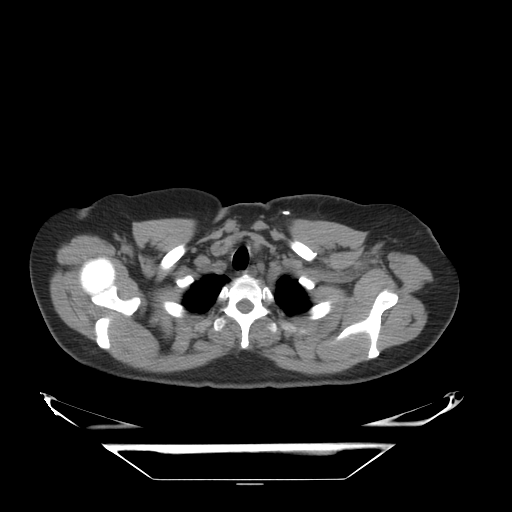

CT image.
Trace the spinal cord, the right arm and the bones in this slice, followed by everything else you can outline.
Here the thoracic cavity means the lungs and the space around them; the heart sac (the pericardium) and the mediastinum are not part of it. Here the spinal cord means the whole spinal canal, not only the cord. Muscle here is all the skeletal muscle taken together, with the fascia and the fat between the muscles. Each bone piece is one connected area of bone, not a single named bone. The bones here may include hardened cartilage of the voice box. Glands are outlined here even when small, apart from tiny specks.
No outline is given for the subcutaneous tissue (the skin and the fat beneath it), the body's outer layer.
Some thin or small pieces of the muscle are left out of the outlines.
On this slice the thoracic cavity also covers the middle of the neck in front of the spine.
{"spinal_cord":[[[243,299],[246,299],[247,300],[248,300],[252,304],[252,308],[251,309],[251,310],[250,310],[248,312],[246,312],[245,313],[244,313],[243,312],[242,312],[241,311],[240,311],[237,308],[237,303],[238,302],[239,302],[241,300],[242,300]]],"right_arm":[[[111,193],[129,247],[128,252],[115,284],[109,288],[91,295],[38,307],[32,291],[30,278],[29,277],[29,253],[34,236],[38,228],[42,222],[49,215],[63,207],[69,205],[87,206],[97,199]]],"bones":[{"outer":[[244,274],[257,278],[262,287],[266,285],[275,304],[270,306],[270,314],[250,325],[249,344],[245,349],[240,346],[241,328],[230,317],[225,318],[226,323],[218,331],[211,324],[195,326],[205,320],[212,321],[220,314],[220,305],[215,302],[222,287]],"hole":[[243,299],[246,299],[247,300],[248,300],[252,304],[252,308],[251,309],[251,310],[250,310],[248,312],[246,312],[245,313],[244,313],[243,312],[242,312],[241,311],[240,311],[237,308],[237,303],[238,302],[239,302],[241,300],[242,300]]},[[98,256],[105,256],[109,258],[114,266],[114,283],[117,288],[117,295],[121,299],[129,299],[135,296],[140,298],[140,303],[137,309],[130,316],[126,316],[115,310],[96,305],[91,300],[90,296],[82,289],[79,282],[79,270],[86,260]],[[384,289],[396,293],[398,299],[393,306],[386,309],[381,315],[381,325],[376,342],[376,346],[379,350],[379,355],[372,359],[367,358],[370,346],[370,338],[365,332],[351,334],[345,338],[334,342],[333,341],[335,338],[344,328],[367,317],[376,296]],[[105,316],[107,316],[110,318],[110,322],[108,326],[108,338],[109,339],[110,347],[106,350],[105,349],[102,349],[99,347],[96,343],[96,340],[95,339],[96,338],[96,335],[95,334],[95,329],[94,328],[95,322],[99,318],[101,317],[104,317]],[[180,244],[184,244],[185,245],[185,247],[186,248],[186,251],[184,253],[184,254],[168,269],[163,269],[162,268],[161,268],[160,267],[160,262],[161,261],[162,258],[165,255],[165,254],[166,253],[167,253],[170,250],[171,250],[174,247],[175,247]],[[328,299],[331,300],[332,302],[331,303],[332,307],[330,311],[327,314],[320,318],[318,318],[317,319],[309,319],[308,318],[308,314],[307,313],[307,311],[310,308],[310,307],[311,307],[312,305],[314,304],[319,303],[322,301],[324,301]],[[292,240],[297,240],[303,243],[305,245],[306,245],[309,248],[310,248],[314,252],[316,253],[316,255],[315,257],[312,260],[310,261],[308,260],[306,260],[302,257],[301,257],[298,254],[297,254],[289,246],[289,242]],[[164,300],[169,300],[170,301],[173,301],[174,302],[177,302],[178,303],[180,303],[186,309],[186,313],[185,314],[185,315],[183,317],[175,317],[174,316],[173,316],[172,315],[171,315],[170,314],[169,314],[163,308],[163,307],[162,306],[162,302]],[[186,275],[191,275],[193,277],[193,278],[194,279],[194,281],[186,289],[183,289],[182,288],[181,288],[180,287],[179,287],[176,284],[176,279],[177,279],[178,278],[182,278],[184,276],[185,276]],[[302,275],[304,275],[305,276],[306,276],[308,278],[309,278],[310,279],[311,279],[315,283],[315,285],[314,286],[314,287],[312,289],[311,289],[309,291],[307,291],[299,283],[299,282],[298,281],[298,278],[300,276],[301,276]],[[284,321],[286,322],[289,322],[290,323],[292,323],[298,328],[303,328],[305,329],[306,331],[304,333],[302,333],[298,330],[296,331],[290,331],[289,330],[286,330],[285,329],[283,329],[281,327],[280,325],[280,323]],[[270,321],[275,321],[278,324],[278,327],[277,328],[277,330],[275,332],[272,332],[269,329],[268,329],[268,328],[267,327],[267,324],[268,323],[268,322],[269,322]]],"thoracic_cavity":[[[243,238],[249,238],[256,250],[260,245],[271,250],[284,270],[297,279],[312,304],[306,311],[286,314],[275,303],[271,289],[247,273],[224,284],[214,303],[204,312],[189,310],[181,303],[195,280],[210,271],[213,261],[211,247],[222,244],[231,248]]],"muscle":[{"outer":[[171,217],[197,220],[201,234],[227,218],[244,225],[259,218],[321,219],[369,231],[368,246],[384,241],[383,250],[414,254],[431,270],[423,298],[427,322],[415,338],[380,353],[382,315],[399,299],[384,288],[366,317],[332,341],[360,333],[369,338],[369,360],[339,373],[286,370],[247,350],[169,373],[127,366],[106,351],[109,316],[94,322],[94,342],[55,311],[48,285],[55,249],[83,233],[127,243],[133,221]],"holes":[[[243,238],[271,250],[293,278],[304,275],[311,279],[315,285],[306,292],[309,301],[313,305],[329,299],[330,311],[309,319],[306,311],[288,315],[273,304],[270,314],[250,325],[245,349],[240,346],[241,328],[230,317],[218,331],[211,324],[195,326],[220,314],[217,303],[204,312],[187,309],[183,317],[169,314],[162,302],[180,303],[187,290],[179,287],[176,279],[186,275],[199,279],[210,271],[212,246],[225,246]],[[98,256],[105,256],[109,258],[114,266],[114,283],[117,288],[117,295],[121,299],[129,299],[135,296],[140,298],[140,303],[137,309],[130,316],[126,316],[115,310],[96,305],[91,300],[90,296],[82,289],[79,282],[79,270],[86,260]],[[180,244],[184,244],[185,245],[185,247],[186,248],[186,251],[184,253],[184,254],[168,269],[163,269],[162,268],[161,268],[160,267],[160,262],[161,261],[162,258],[165,255],[165,254],[166,253],[167,253],[170,250],[171,250],[174,247],[175,247]],[[292,240],[297,240],[303,243],[305,245],[306,245],[309,248],[310,248],[314,252],[316,253],[316,255],[315,257],[312,260],[310,261],[308,260],[306,260],[302,257],[301,257],[298,254],[297,254],[289,246],[289,242]],[[284,321],[286,322],[289,322],[290,323],[292,323],[298,328],[303,328],[305,329],[306,331],[304,333],[302,333],[298,330],[296,331],[290,331],[289,330],[286,330],[285,329],[283,329],[281,327],[280,325],[280,323]],[[270,321],[275,321],[278,324],[278,327],[277,328],[277,330],[275,332],[272,332],[269,329],[268,329],[268,328],[267,327],[267,324],[268,323],[268,322],[269,322]]]}],"torso":[[[175,186],[208,191],[225,206],[323,193],[364,204],[404,207],[429,226],[456,268],[459,298],[453,317],[420,358],[398,371],[355,384],[196,388],[124,379],[87,367],[58,345],[38,308],[91,296],[116,284],[130,247],[112,193],[136,194]]],"thyroid_glands":[[[252,241],[253,241],[254,241],[255,241],[256,242],[257,242],[257,243],[258,244],[259,244],[259,245],[259,246],[259,247],[259,248],[258,248],[257,249],[256,249],[255,248],[254,247],[253,247],[253,246],[252,245],[252,244],[252,243],[252,242]],[[229,242],[230,242],[231,242],[232,242],[233,243],[234,243],[233,244],[233,245],[232,246],[231,247],[230,247],[229,247],[228,247],[227,246],[226,245],[226,244],[227,243],[228,243]]]}